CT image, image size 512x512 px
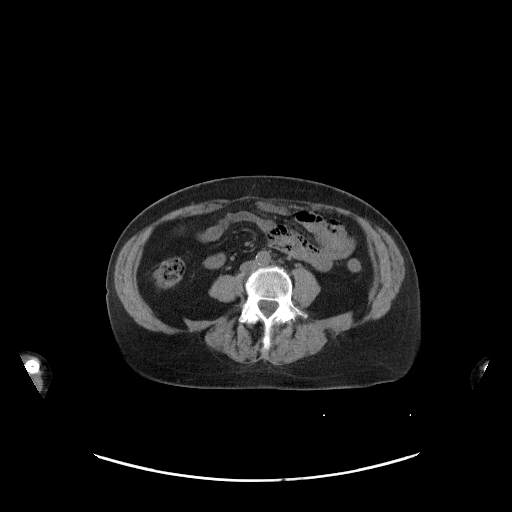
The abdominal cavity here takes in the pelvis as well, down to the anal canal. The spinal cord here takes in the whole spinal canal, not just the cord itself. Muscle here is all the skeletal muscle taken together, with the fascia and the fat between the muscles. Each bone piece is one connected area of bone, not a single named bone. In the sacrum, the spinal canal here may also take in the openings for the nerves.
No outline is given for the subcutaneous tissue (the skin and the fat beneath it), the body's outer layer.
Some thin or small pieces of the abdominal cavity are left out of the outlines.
{"abdominal_cavity":[[[244,200],[355,220],[374,272],[367,311],[356,319],[351,310],[314,317],[307,308],[321,291],[315,276],[301,265],[290,275],[275,264],[245,281],[220,274],[207,293],[229,305],[213,318],[183,315],[183,326],[174,326],[157,317],[136,278],[154,229]]],"left_arm":[[[487,355],[489,355],[489,358],[483,365],[483,372],[482,373],[481,376],[479,378],[478,381],[475,384],[474,387],[472,389],[471,388],[471,386],[470,385],[470,373],[471,372],[473,367],[475,365],[475,364],[481,358],[482,358],[484,356],[486,356]]],"bones":[{"outer":[[275,265],[282,267],[290,276],[292,280],[291,300],[297,308],[307,314],[307,317],[297,316],[290,324],[275,323],[269,332],[269,348],[263,351],[263,324],[260,321],[254,324],[240,322],[238,318],[247,296],[244,286],[246,278],[252,271],[260,267]],"hole":[[262,300],[263,300],[264,301],[273,301],[274,302],[276,302],[277,303],[277,306],[274,310],[274,311],[273,311],[268,316],[266,316],[262,312],[262,311],[259,307],[259,305],[258,304],[258,303],[259,302],[259,301],[261,301]]},[[29,359],[36,359],[39,362],[39,369],[38,370],[38,371],[37,372],[36,372],[35,373],[30,373],[29,372],[29,371],[28,370],[28,369],[27,368],[27,367],[26,366],[26,361],[27,360],[28,360]]],"right_arm":[[[20,349],[28,349],[29,350],[35,351],[41,354],[47,360],[52,372],[52,378],[51,379],[51,383],[48,388],[45,397],[43,397],[34,384],[34,382],[32,380],[30,376],[30,373],[26,366],[26,362],[22,359],[20,355],[20,352],[19,351]]],"spinal_cord":[[[262,300],[263,300],[264,301],[273,301],[274,302],[276,302],[277,303],[277,306],[274,310],[274,311],[273,311],[268,316],[266,316],[262,312],[262,311],[259,307],[259,305],[258,304],[258,303],[259,302],[259,301],[261,301]]],"muscle":[{"outer":[[245,195],[254,195],[264,198],[283,198],[284,199],[289,199],[290,200],[305,200],[306,201],[310,201],[316,203],[324,203],[329,205],[334,205],[352,211],[354,213],[369,220],[373,224],[377,225],[382,228],[391,236],[397,245],[403,257],[404,266],[405,267],[404,278],[400,286],[399,291],[393,300],[389,310],[383,316],[378,319],[370,320],[362,325],[359,325],[356,327],[343,331],[340,333],[335,339],[328,342],[323,348],[316,354],[310,355],[298,359],[296,361],[294,361],[291,363],[284,364],[280,366],[277,366],[270,363],[268,361],[263,361],[262,360],[259,360],[250,365],[242,364],[234,361],[224,354],[214,353],[194,335],[179,334],[178,333],[175,334],[166,334],[159,331],[156,332],[146,329],[136,323],[127,313],[123,307],[123,305],[116,294],[115,288],[114,287],[113,275],[114,274],[115,263],[117,259],[117,256],[123,245],[134,234],[138,232],[141,229],[155,221],[163,215],[173,210],[178,209],[184,206],[190,205],[192,203],[200,203],[204,201],[212,200],[213,199],[234,199]],"hole":[[244,200],[355,220],[374,272],[367,311],[314,317],[307,308],[321,286],[299,265],[291,300],[307,317],[275,323],[266,351],[263,324],[238,320],[247,295],[233,274],[207,290],[229,304],[219,315],[183,315],[183,326],[157,317],[136,278],[154,229]]},[[22,354],[31,354],[37,357],[41,363],[41,365],[42,366],[42,370],[43,371],[42,373],[42,380],[43,381],[43,384],[40,391],[38,390],[30,376],[30,374],[35,374],[39,371],[40,369],[40,362],[36,358],[29,358],[24,361],[20,355]]],"torso":[[[255,174],[300,177],[346,190],[379,210],[400,233],[411,253],[417,271],[423,316],[423,338],[418,357],[402,378],[362,388],[211,389],[155,382],[137,375],[125,365],[113,339],[105,303],[106,268],[112,248],[122,230],[146,206],[175,190],[214,178]]]}